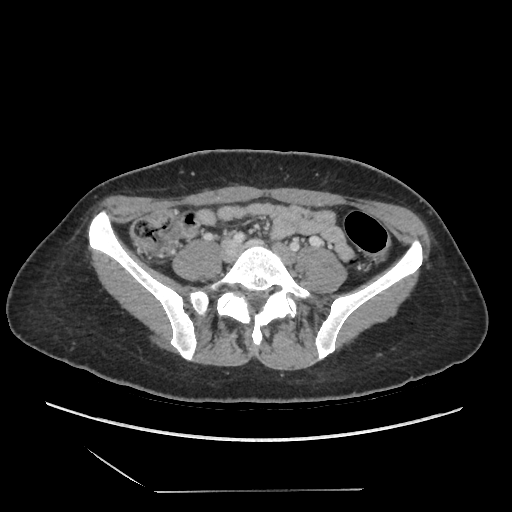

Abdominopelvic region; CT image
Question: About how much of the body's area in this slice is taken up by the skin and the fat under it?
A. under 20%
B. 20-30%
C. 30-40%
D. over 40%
Answer: D. over 40%
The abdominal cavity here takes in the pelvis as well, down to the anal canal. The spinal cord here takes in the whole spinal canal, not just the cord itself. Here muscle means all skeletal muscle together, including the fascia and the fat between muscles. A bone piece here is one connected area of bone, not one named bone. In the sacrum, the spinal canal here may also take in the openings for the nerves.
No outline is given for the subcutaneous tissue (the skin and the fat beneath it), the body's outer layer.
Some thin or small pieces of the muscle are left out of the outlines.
Outlines:
spinal cord: 224,283 237,283 240,284 247,291 264,291 273,285 279,286 280,290 276,291 269,295 261,308 258,311 252,313 250,310 250,306 247,299 248,296 247,293 243,290 227,290 226,289 222,290 221,286
muscle 1: 234,186 295,187 406,207 421,218 430,233 431,250 428,260 417,283 394,316 375,324 336,350 338,334 354,311 376,295 412,275 422,265 423,246 418,238 414,238 405,250 405,246 380,219 354,205 314,206 264,196 209,204 181,203 148,211 128,221 113,221 112,224 120,240 143,263 183,285 208,285 207,288 213,292 221,291 215,299 217,315 230,317 243,324 252,324 250,336 255,346 259,346 263,340 262,327 287,316 293,319 298,313 296,300 312,296 308,289 299,284 301,277 295,269 297,254 303,247 321,246 339,259 347,276 337,289 337,294 343,294 374,278 400,256 374,280 357,290 340,294 332,300 314,338 318,362 313,365 303,369 282,371 266,367 255,359 239,366 193,363 191,362 194,360 197,338 194,322 184,307 184,297 152,276 128,253 105,209 94,214 88,223 97,204 109,196 121,194 148,198 177,198; inner edge: 196,290 203,290 205,291 208,294 209,296 209,304 208,305 208,308 207,309 207,311 204,316 202,315 200,315 196,312 196,311 193,308 191,303 188,299 188,294 190,292 192,291 195,291
muscle 2: 87,228 88,245 93,250 98,251 108,256 118,263 159,302 168,319 171,328 171,337 169,340 169,343 175,349 179,356 161,349 151,343 147,338 148,333 147,328 122,308 105,290 98,279 91,264 87,248
muscle 3: 196,239 201,239 206,242 215,242 218,244 219,248 221,251 222,271 215,276 205,281 194,281 193,280 184,279 179,276 174,271 172,267 172,260 174,256 175,256 176,254 184,247 184,246 191,241
abdominal cavity: 262,197 314,207 354,206 380,220 404,250 377,275 343,293 337,291 348,272 340,259 321,245 305,245 297,252 294,269 299,283 275,250 254,243 215,281 183,284 143,262 121,240 113,222 128,222 181,204, around a hole outlined by 196,239 201,239 206,242 215,242 218,244 219,248 221,251 222,271 215,276 205,281 194,281 193,280 184,279 179,276 174,271 172,267 172,260 174,256 175,256 176,254 184,247 184,246 191,241
torso: 240,148 339,155 381,169 418,192 445,223 483,294 489,323 478,350 438,373 357,397 288,403 225,403 181,401 121,385 50,357 18,339 11,331 5,307 12,280 32,250 86,192 113,176 172,157 200,150
bones 1: 254,244 275,251 296,282 311,294 310,297 295,300 297,313 293,318 287,315 262,326 260,328 262,340 259,345 255,345 252,341 252,323 243,323 230,316 218,315 216,299 222,291 208,288 223,276 245,248, around a hole outlined by 224,283 237,283 240,284 247,291 264,291 273,285 279,286 280,290 276,291 269,295 261,308 258,311 252,313 250,310 250,306 247,299 248,296 247,293 243,290 227,290 226,289 222,290 221,286
bones 2: 101,210 105,210 108,214 113,230 127,253 152,277 172,288 183,297 183,307 193,322 196,338 196,346 192,361 187,361 182,358 170,343 172,328 160,302 118,262 108,255 93,249 89,245 89,224 94,215
bones 3: 414,239 419,240 423,253 423,260 418,269 412,274 376,294 354,310 344,321 337,334 335,350 323,359 317,361 318,355 315,345 315,338 322,322 329,313 333,300 340,295 351,293 363,288 382,275 401,257
bones 4: 196,290 203,290 205,291 208,294 209,296 209,304 208,305 208,308 207,309 207,311 204,316 202,315 200,315 196,312 196,311 193,308 191,303 188,299 188,294 190,292 192,291 195,291